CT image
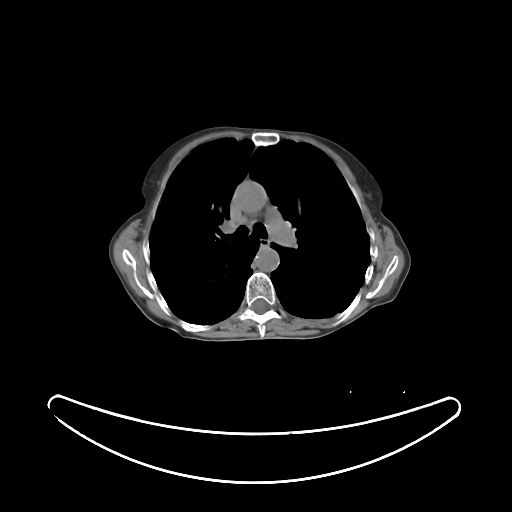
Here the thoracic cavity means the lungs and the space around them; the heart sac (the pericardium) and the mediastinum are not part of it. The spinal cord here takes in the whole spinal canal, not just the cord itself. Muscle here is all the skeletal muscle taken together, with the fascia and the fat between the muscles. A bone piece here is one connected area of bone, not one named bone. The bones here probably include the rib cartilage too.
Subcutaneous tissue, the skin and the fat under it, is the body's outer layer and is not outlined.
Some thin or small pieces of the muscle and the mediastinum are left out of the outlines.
{"torso":[[[216,125],[309,131],[337,142],[359,159],[378,182],[383,193],[382,212],[396,226],[410,253],[410,269],[397,296],[348,325],[312,339],[202,341],[182,337],[150,321],[113,270],[108,258],[109,240],[118,226],[142,207],[140,184],[154,159],[179,138]]],"bones":[{"outer":[[256,271],[263,272],[269,276],[274,287],[275,294],[281,307],[285,312],[285,314],[281,318],[271,318],[264,324],[265,334],[263,337],[260,336],[258,324],[254,320],[250,318],[240,320],[235,316],[231,316],[239,309],[245,295],[247,280],[251,274]],"hole":[[258,299],[262,299],[263,300],[264,300],[269,305],[269,308],[268,308],[264,312],[263,312],[262,313],[257,313],[254,310],[253,310],[251,308],[251,306],[252,305],[252,304],[253,303],[253,302],[254,302],[256,300],[257,300]]},[[145,237],[149,241],[149,267],[171,315],[166,314],[154,298],[150,298],[143,292],[134,279],[132,267],[123,260],[123,249],[127,249],[131,253],[135,259],[136,274],[140,283],[148,290],[152,290],[146,275],[146,270],[149,267],[142,249]],[[254,131],[275,131],[279,134],[279,135],[280,136],[280,139],[279,140],[279,141],[275,144],[272,144],[271,145],[266,145],[265,146],[263,146],[262,145],[261,146],[256,146],[250,138],[251,137],[251,134],[252,133],[252,132],[253,132]],[[366,227],[371,228],[373,230],[374,233],[374,241],[373,244],[377,247],[377,250],[378,251],[377,252],[377,256],[373,262],[373,273],[372,276],[369,282],[367,284],[364,284],[365,272],[370,263],[370,260],[371,259],[370,257],[370,238],[367,232]],[[359,290],[361,290],[362,292],[362,295],[360,298],[359,302],[357,304],[355,308],[344,321],[335,326],[331,326],[331,324],[335,320],[334,316],[336,314],[343,311],[351,303],[351,302],[353,300],[353,299],[355,297],[355,296],[357,294]],[[394,255],[396,255],[398,258],[398,263],[397,264],[396,268],[394,270],[394,271],[386,278],[380,289],[371,298],[366,298],[365,297],[365,295],[368,292],[370,292],[374,290],[378,285],[380,279],[384,274],[385,270],[388,264],[390,262]],[[179,319],[181,319],[188,323],[191,323],[192,324],[200,324],[201,325],[213,325],[213,326],[210,329],[208,329],[207,330],[204,330],[203,331],[196,331],[195,332],[190,332],[189,331],[186,331],[182,329],[179,326],[178,324],[178,320]],[[163,183],[163,185],[162,186],[162,193],[161,194],[161,197],[160,198],[160,200],[159,201],[159,203],[158,204],[158,206],[156,210],[155,217],[154,219],[153,219],[152,213],[153,212],[153,207],[154,206],[154,203],[155,202],[156,195],[162,187],[162,185]],[[346,179],[347,180],[348,180],[349,181],[349,182],[355,188],[355,189],[358,194],[358,196],[359,197],[359,199],[360,200],[360,202],[361,203],[361,205],[362,206],[362,211],[361,211],[361,210],[360,209],[360,208],[359,207],[359,206],[346,181]]],"muscle":[{"outer":[[278,132],[311,137],[337,153],[354,175],[363,193],[364,202],[374,220],[380,228],[383,225],[390,228],[396,244],[403,252],[404,265],[391,290],[383,296],[372,298],[367,306],[347,320],[361,300],[363,295],[360,289],[361,286],[363,284],[367,285],[374,273],[374,262],[379,251],[378,247],[374,244],[374,230],[366,226],[362,215],[363,206],[356,188],[344,177],[335,162],[316,146],[305,141],[281,138]],"hole":[[394,255],[396,255],[398,258],[398,263],[397,264],[396,268],[394,270],[394,271],[386,278],[380,289],[371,298],[366,298],[365,297],[365,295],[368,292],[370,292],[374,290],[378,285],[380,279],[384,274],[385,270],[388,264],[390,262]]},[[155,196],[149,238],[145,236],[141,242],[142,254],[148,267],[145,270],[145,275],[151,290],[141,283],[137,274],[136,259],[132,253],[127,248],[123,248],[121,257],[124,263],[131,267],[136,285],[146,296],[154,299],[166,315],[171,316],[173,313],[179,318],[177,320],[178,326],[158,317],[148,309],[145,301],[133,291],[126,281],[113,256],[113,246],[120,233],[132,221],[140,219],[143,222],[145,220]],[[286,312],[290,315],[304,319],[325,319],[333,317],[334,320],[330,324],[330,326],[332,327],[320,329],[319,331],[315,333],[294,334],[293,335],[290,334],[265,335],[266,334],[266,325],[265,324],[269,320],[274,318],[275,319],[281,319],[286,314]],[[225,130],[251,132],[250,137],[244,137],[240,139],[231,136],[220,137],[206,141],[198,145],[192,149],[179,162],[167,180],[163,191],[164,185],[163,182],[161,187],[157,192],[158,182],[165,171],[169,160],[182,146],[189,141],[202,135],[211,132]],[[229,317],[232,318],[235,317],[240,321],[243,321],[247,319],[250,319],[254,321],[257,324],[257,329],[259,335],[258,336],[209,337],[208,336],[197,335],[193,333],[196,332],[203,332],[204,331],[210,330],[214,326],[213,324],[222,321]]],"mediastinum":[[[248,172],[253,180],[263,186],[269,200],[278,208],[285,222],[274,242],[270,243],[270,246],[279,256],[279,264],[270,276],[263,271],[253,271],[251,267],[252,260],[259,248],[259,239],[248,235],[246,231],[230,219],[230,201],[235,188]]],"spinal_cord":[[[258,299],[262,299],[263,300],[264,300],[269,305],[269,308],[268,308],[264,312],[263,312],[262,313],[257,313],[254,310],[253,310],[251,308],[251,306],[252,305],[252,304],[253,303],[253,302],[254,302],[256,300],[257,300]]],"thoracic_cavity":[[[228,137],[249,138],[252,154],[281,139],[305,142],[342,174],[370,258],[343,310],[325,318],[284,310],[270,277],[280,264],[271,243],[286,222],[248,171],[228,204],[232,223],[258,239],[238,309],[212,324],[172,312],[150,267],[152,225],[180,162]]]}